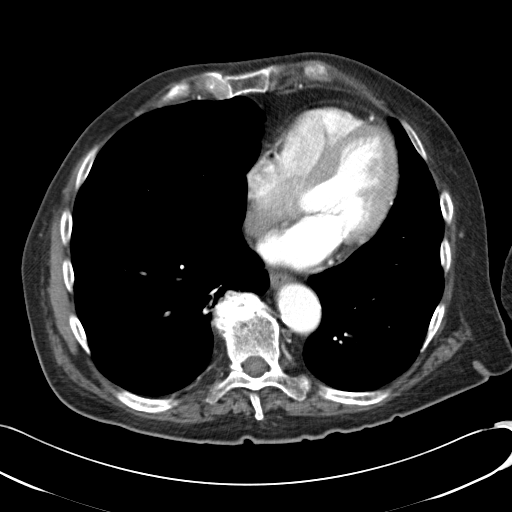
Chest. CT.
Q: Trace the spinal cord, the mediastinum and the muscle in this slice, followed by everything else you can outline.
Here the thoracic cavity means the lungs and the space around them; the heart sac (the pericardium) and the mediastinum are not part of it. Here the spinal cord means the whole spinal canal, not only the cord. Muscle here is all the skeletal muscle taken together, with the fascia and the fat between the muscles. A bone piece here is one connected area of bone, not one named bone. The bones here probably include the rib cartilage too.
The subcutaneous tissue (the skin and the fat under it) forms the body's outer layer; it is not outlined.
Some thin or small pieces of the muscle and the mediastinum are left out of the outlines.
A: Outlines:
spinal cord: [[252,356],[257,356],[258,357],[260,357],[261,358],[262,358],[264,360],[264,361],[267,365],[267,370],[266,370],[262,374],[261,374],[259,376],[252,376],[248,373],[247,373],[244,370],[244,367],[243,366],[243,363],[249,357],[251,357]]
mediastinum 1: [[264,263],[274,267],[292,269],[307,275],[312,274],[307,278],[307,284],[318,298],[321,315],[317,326],[307,336],[302,347],[299,362],[300,371],[293,362],[292,355],[281,342],[281,327],[278,320],[270,312],[270,307],[259,296],[267,290],[270,282]]
mediastinum 2: [[301,82],[327,82],[352,90],[378,110],[387,115],[387,123],[381,116],[353,102],[341,99],[317,101],[305,105],[290,113],[278,125],[271,138],[261,151],[261,138],[264,131],[264,122],[266,116],[264,111],[254,101],[243,95],[249,93],[265,93]]
muscle 1: [[89,148],[75,177],[76,194],[72,211],[67,207],[64,208],[59,219],[61,243],[64,246],[69,244],[70,258],[65,257],[62,260],[61,270],[64,285],[67,291],[73,294],[75,313],[71,312],[67,320],[75,339],[99,371],[120,387],[112,392],[120,402],[134,410],[152,414],[175,407],[180,401],[173,396],[165,397],[189,387],[211,373],[218,364],[220,354],[224,351],[228,359],[228,371],[223,378],[211,384],[205,401],[214,404],[230,390],[246,388],[250,391],[248,397],[255,419],[221,415],[210,421],[182,424],[144,418],[125,411],[78,386],[56,363],[45,329],[46,315],[41,304],[40,281],[43,272],[49,269],[47,263],[49,235],[54,210],[72,169]]
muscle 2: [[303,60],[323,61],[358,79],[391,110],[405,117],[422,137],[456,206],[455,276],[445,329],[456,330],[456,319],[462,315],[473,339],[467,340],[448,360],[383,405],[338,415],[285,415],[282,419],[261,421],[264,413],[258,391],[272,386],[294,400],[303,401],[313,386],[310,377],[319,382],[316,384],[316,394],[325,400],[366,406],[385,399],[391,390],[380,388],[410,367],[427,348],[440,326],[446,308],[440,301],[444,289],[444,275],[447,274],[452,261],[450,242],[444,236],[444,226],[452,221],[453,201],[446,189],[439,193],[426,163],[427,153],[415,130],[405,119],[401,118],[399,121],[378,109],[359,93],[335,83],[301,81],[277,88],[282,70],[279,63]] with a hole at [[318,64],[320,64],[322,65],[325,68],[326,70],[326,72],[327,73],[326,75],[320,75],[319,76],[320,77],[318,77],[317,78],[316,77],[313,77],[312,76],[307,76],[303,73],[303,68],[306,65],[312,65],[313,66],[315,66]]
muscle 3: [[200,72],[202,72],[201,73],[201,86],[202,88],[213,97],[209,97],[201,93],[198,93],[195,95],[190,95],[187,97],[171,102],[178,98],[182,97],[186,97],[187,96],[188,95],[188,92],[190,89],[190,85],[187,82],[177,82],[171,86],[160,98],[157,107],[150,109],[132,119],[131,121],[124,125],[110,137],[100,149],[100,146],[98,144],[94,144],[118,124],[130,116],[135,110],[164,86],[171,82],[177,81],[184,77]]
left arm: [[510,246],[511,246],[511,320],[509,319],[503,307],[503,305],[501,302],[501,298],[500,297],[500,282],[501,281],[501,275],[502,274],[502,269],[504,265],[504,261],[505,260],[505,256],[506,255],[506,253],[509,249]]
thoracic cavity 1: [[198,94],[219,100],[242,95],[264,113],[260,151],[245,176],[241,231],[261,259],[269,282],[261,295],[231,290],[221,299],[214,324],[224,350],[211,372],[164,397],[147,397],[114,383],[90,355],[74,301],[72,212],[77,192],[110,138],[142,114]]
thoracic cavity 2: [[388,116],[396,119],[407,134],[425,162],[439,194],[444,222],[439,247],[443,289],[419,353],[409,367],[379,388],[349,391],[329,386],[301,372],[303,347],[322,315],[319,298],[308,284],[308,278],[343,262],[367,242],[394,202],[400,173],[398,150]]
bones 1: [[231,291],[252,292],[269,307],[280,327],[280,342],[292,357],[285,370],[290,375],[304,373],[312,381],[303,400],[272,385],[258,390],[261,420],[254,416],[251,391],[246,387],[232,388],[214,403],[206,401],[212,384],[229,371],[215,316],[222,299]] with a hole at [[252,356],[257,356],[258,357],[260,357],[261,358],[262,358],[264,360],[264,361],[267,365],[267,370],[266,370],[262,374],[261,374],[259,376],[252,376],[248,373],[247,373],[244,370],[244,367],[243,366],[243,363],[249,357],[251,357]]
bones 2: [[270,64],[278,64],[281,66],[281,70],[278,77],[278,83],[276,88],[273,90],[269,90],[265,92],[249,92],[244,94],[235,95],[228,98],[219,99],[215,98],[206,91],[202,86],[202,73],[205,71],[217,71],[223,75],[236,75],[253,71]]
bones 3: [[319,383],[322,383],[329,387],[338,390],[348,391],[349,392],[363,392],[377,389],[389,389],[390,392],[385,398],[375,403],[366,405],[347,404],[337,401],[333,401],[329,399],[325,399],[318,395],[317,394],[317,389],[318,388],[317,384]]
bones 4: [[120,388],[122,388],[136,395],[146,397],[147,398],[168,398],[169,397],[173,397],[179,401],[175,406],[164,411],[156,412],[155,413],[147,412],[146,411],[141,411],[140,410],[134,409],[126,405],[120,401],[114,395],[113,392],[115,390],[118,390]]
bones 5: [[439,302],[442,302],[445,305],[443,316],[441,319],[441,321],[439,324],[439,326],[437,330],[435,332],[431,340],[427,345],[426,348],[422,352],[420,352],[420,349],[424,342],[424,340],[427,334],[427,331],[428,330],[428,327],[430,323],[430,320]]
bones 6: [[94,145],[98,145],[99,146],[99,150],[97,152],[93,160],[93,162],[87,174],[86,178],[79,187],[78,190],[76,191],[75,190],[75,181],[76,180],[76,177],[77,176],[78,171],[80,168],[80,166],[85,156],[90,150],[90,149]]
bones 7: [[71,313],[74,313],[77,316],[85,332],[85,335],[86,336],[86,339],[87,340],[87,344],[90,350],[90,354],[89,355],[87,354],[82,348],[82,347],[76,339],[69,325],[69,321],[68,320],[68,317]]
bones 8: [[177,83],[187,83],[189,85],[189,89],[187,92],[187,95],[186,96],[182,96],[181,97],[178,97],[174,100],[172,100],[167,104],[165,104],[161,106],[158,106],[158,105],[160,103],[161,98],[169,90],[169,89],[171,87],[172,87]]
bones 9: [[66,208],[69,209],[71,212],[71,215],[72,216],[72,223],[71,224],[71,235],[70,236],[69,243],[67,245],[64,245],[62,243],[62,240],[61,239],[61,234],[60,233],[60,219],[61,218],[61,215],[62,214],[62,212],[63,211],[63,210]]
bones 10: [[443,190],[446,190],[449,193],[451,200],[452,201],[452,204],[453,205],[453,212],[452,213],[452,217],[451,218],[451,221],[449,224],[447,224],[444,221],[444,219],[442,215],[442,212],[441,211],[441,207],[440,206],[439,195],[441,191]]
bones 11: [[401,119],[403,119],[405,120],[411,126],[411,127],[414,130],[414,131],[418,136],[424,148],[424,150],[427,156],[427,160],[426,161],[425,161],[423,159],[423,158],[416,150],[415,147],[413,145],[408,134],[400,123],[400,120]]
bones 12: [[443,237],[446,237],[447,238],[449,242],[449,246],[450,247],[450,252],[451,253],[451,261],[450,262],[450,265],[449,266],[449,268],[446,274],[444,274],[444,271],[443,270],[443,268],[440,263],[440,247],[441,246],[441,243],[442,242]]
bones 13: [[65,258],[69,258],[70,259],[70,261],[71,262],[71,265],[72,266],[72,269],[73,270],[73,278],[74,279],[73,280],[73,293],[70,293],[68,291],[68,290],[65,285],[65,283],[64,282],[64,279],[63,278],[63,271],[62,270],[62,262]]
bones 14: [[318,64],[320,64],[322,65],[325,68],[326,70],[326,72],[327,73],[326,75],[320,75],[319,76],[320,77],[318,77],[317,78],[316,77],[313,77],[312,76],[307,76],[303,73],[303,68],[306,65],[312,65],[313,66],[315,66]]
torso: [[300,51],[340,54],[385,73],[429,103],[457,136],[482,197],[490,282],[511,342],[511,370],[387,423],[289,443],[174,441],[75,412],[56,396],[41,369],[31,339],[20,273],[28,231],[62,160],[95,117],[158,72],[193,63]]
pericardium: [[328,100],[341,100],[353,103],[365,108],[385,121],[393,134],[397,150],[399,177],[393,202],[375,233],[342,261],[320,271],[307,274],[292,268],[274,266],[263,262],[248,243],[244,233],[244,222],[247,211],[246,176],[279,125],[290,114],[305,106]]